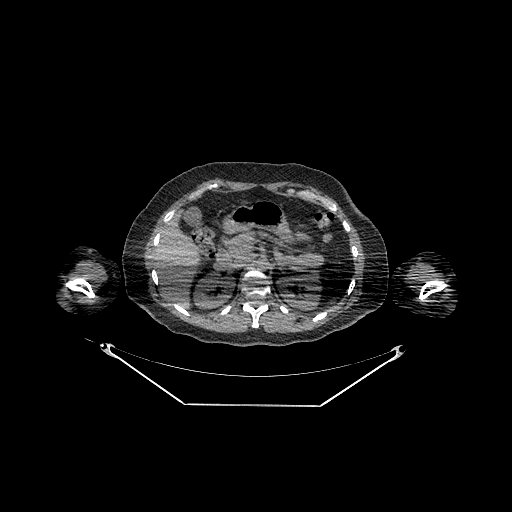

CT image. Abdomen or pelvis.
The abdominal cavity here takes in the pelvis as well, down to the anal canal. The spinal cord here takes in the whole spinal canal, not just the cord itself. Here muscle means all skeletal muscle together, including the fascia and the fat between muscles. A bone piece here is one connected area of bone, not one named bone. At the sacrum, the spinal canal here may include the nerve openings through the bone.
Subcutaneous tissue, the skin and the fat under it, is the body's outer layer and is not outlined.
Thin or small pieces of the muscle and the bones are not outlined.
The bones appear in 15 outlined pieces: piece 1: [[248,270],[259,270],[263,272],[267,275],[271,282],[271,291],[265,298],[265,301],[268,304],[268,308],[266,311],[260,314],[258,318],[259,326],[257,328],[253,328],[251,326],[251,314],[242,309],[242,304],[246,299],[241,291],[240,283],[241,278]] with a hole at [[253,295],[258,295],[259,296],[260,296],[263,298],[263,301],[262,302],[262,303],[259,306],[257,306],[256,307],[255,307],[253,305],[252,305],[252,304],[251,303],[250,303],[250,302],[247,299],[247,298],[248,298],[250,296],[252,296]]; piece 2: [[289,188],[293,188],[296,190],[309,190],[314,193],[319,194],[333,201],[336,204],[337,210],[335,213],[334,213],[322,205],[319,201],[316,201],[315,200],[309,199],[308,198],[298,197],[294,193],[290,194],[287,192],[287,189]]; piece 3: [[75,277],[84,277],[85,278],[85,279],[90,284],[90,285],[91,286],[93,291],[95,293],[96,296],[93,298],[89,298],[84,293],[83,293],[80,291],[72,291],[71,290],[70,290],[67,287],[66,287],[64,285],[64,283],[68,280],[70,280]]; piece 4: [[436,278],[437,279],[439,279],[440,280],[442,280],[444,281],[448,284],[448,286],[440,291],[431,293],[427,297],[427,298],[425,299],[419,299],[419,293],[420,292],[421,287],[426,282],[426,281],[428,280],[430,280],[431,279],[435,279]]; piece 5: [[213,183],[217,183],[218,184],[218,186],[217,187],[216,187],[215,188],[213,188],[210,190],[207,190],[205,192],[204,192],[199,197],[198,197],[193,200],[190,200],[188,198],[188,197],[192,192],[193,192],[194,191],[195,191],[208,184],[212,184]]; piece 6: [[177,302],[178,303],[179,303],[180,304],[181,304],[181,305],[182,306],[183,306],[189,312],[189,316],[186,316],[185,315],[184,315],[182,313],[181,313],[179,311],[178,311],[173,306],[172,306],[172,303],[176,303]]; piece 7: [[326,309],[328,309],[328,313],[326,315],[326,316],[325,317],[324,317],[322,319],[320,319],[319,320],[318,320],[316,322],[313,322],[312,321],[312,318],[317,313],[318,313],[319,312],[320,312],[321,311],[323,311],[324,310],[325,310]]; piece 8: [[171,210],[174,210],[175,211],[175,215],[174,215],[173,216],[173,217],[167,223],[165,223],[163,221],[163,218],[164,217],[164,216],[166,214],[166,213],[167,212],[168,212],[169,211],[170,211]]; piece 9: [[352,277],[354,277],[354,278],[355,279],[355,285],[354,286],[353,289],[351,291],[350,294],[349,294],[348,295],[347,294],[346,291],[347,290],[347,288],[349,285],[349,283],[350,282],[350,280]]; piece 10: [[351,245],[354,245],[357,248],[357,250],[358,251],[358,255],[357,256],[357,257],[356,258],[356,259],[355,260],[354,260],[353,259],[353,256],[352,255],[352,254],[351,253],[351,250],[350,249],[350,246]]; piece 11: [[154,268],[155,269],[155,270],[156,271],[156,272],[157,273],[157,279],[158,280],[158,284],[157,285],[156,284],[155,284],[154,283],[154,282],[153,281],[153,279],[152,278],[152,277],[151,276],[151,271],[152,270],[152,269],[153,269]]; piece 12: [[228,304],[230,304],[231,305],[231,308],[230,309],[230,310],[227,313],[226,313],[225,314],[223,314],[222,315],[221,315],[220,314],[220,312],[221,311],[221,310],[226,305],[227,305]]; piece 13: [[160,232],[160,237],[159,238],[159,242],[158,243],[158,244],[156,246],[154,246],[153,245],[153,240],[154,239],[154,237],[155,236],[155,235],[157,233],[159,233]]; piece 14: [[282,303],[283,303],[284,304],[285,304],[286,305],[286,306],[288,308],[288,310],[289,311],[288,312],[288,313],[284,313],[282,311],[281,311],[280,310],[280,309],[279,308],[279,305],[280,304],[281,304]]; piece 15: [[343,220],[345,220],[348,223],[348,224],[349,225],[349,226],[350,227],[350,230],[348,232],[347,232],[344,229],[344,228],[343,227],[343,226],[342,225],[342,221]]. The spinal cord is outlined by [[253,295],[258,295],[259,296],[260,296],[263,298],[263,301],[262,302],[262,303],[259,306],[257,306],[256,307],[255,307],[253,305],[252,305],[252,304],[251,303],[250,303],[250,302],[247,299],[247,298],[248,298],[250,296],[252,296]]. The torso is outlined by [[227,161],[295,162],[320,169],[338,179],[361,211],[373,222],[384,240],[389,280],[388,291],[382,304],[350,326],[314,341],[282,346],[236,346],[207,343],[174,333],[130,300],[125,289],[122,251],[128,230],[136,215],[166,181],[181,172],[208,162]]. The muscle appears in 3 outlined pieces: piece 1: [[214,178],[219,178],[220,179],[224,179],[230,181],[254,182],[255,183],[268,183],[269,182],[279,182],[280,181],[292,181],[293,182],[298,182],[302,184],[311,185],[313,187],[315,187],[334,199],[341,207],[345,214],[349,218],[350,221],[356,229],[360,238],[360,241],[363,248],[363,251],[365,254],[364,270],[363,271],[363,277],[361,282],[361,290],[362,292],[359,296],[359,299],[357,302],[343,313],[316,328],[310,330],[306,330],[305,331],[289,332],[288,333],[279,333],[278,332],[271,333],[270,332],[265,332],[261,329],[252,329],[245,332],[235,332],[234,333],[223,333],[222,332],[217,332],[216,331],[201,328],[198,326],[195,326],[189,324],[180,319],[178,319],[175,316],[170,314],[169,312],[162,306],[158,305],[153,300],[149,291],[149,284],[148,283],[147,270],[144,264],[144,259],[142,257],[142,255],[144,252],[144,247],[152,232],[152,230],[158,218],[161,214],[168,208],[168,207],[169,207],[176,200],[181,197],[185,193],[192,191],[196,186],[200,183],[209,179],[213,179]]; inner edge: [[213,183],[218,184],[213,190],[235,192],[261,187],[294,197],[297,196],[294,193],[287,192],[289,188],[309,190],[333,201],[337,207],[335,215],[350,227],[347,233],[349,245],[354,245],[358,251],[353,261],[355,285],[350,294],[345,292],[328,308],[325,317],[313,322],[316,312],[289,306],[288,313],[281,311],[279,305],[283,302],[272,289],[265,298],[268,308],[260,314],[257,328],[251,326],[251,314],[242,309],[246,299],[240,285],[229,302],[230,310],[225,314],[220,314],[222,307],[210,310],[186,307],[189,316],[178,311],[161,284],[155,284],[151,276],[156,266],[153,240],[166,226],[163,218],[167,212],[174,210],[177,214],[191,201],[188,197],[192,192]]; piece 2: [[417,262],[427,263],[434,266],[438,271],[442,272],[448,280],[446,282],[436,277],[426,280],[420,287],[418,299],[425,300],[431,294],[440,292],[449,286],[450,295],[443,303],[443,305],[423,305],[414,299],[412,289],[405,282],[404,276],[410,266]]; piece 3: [[82,260],[94,260],[101,264],[106,271],[107,277],[98,289],[98,302],[91,304],[75,303],[64,298],[62,295],[62,289],[64,286],[72,292],[80,292],[84,294],[89,299],[93,299],[97,296],[91,284],[84,276],[75,276],[66,281],[68,272]]. The abdominal cavity is outlined by [[258,187],[318,202],[341,222],[348,236],[353,274],[337,303],[318,312],[294,309],[271,289],[271,280],[259,269],[248,269],[242,275],[237,292],[223,307],[193,309],[173,302],[159,282],[154,261],[156,247],[166,225],[183,206],[207,191],[235,192]]. The left arm is outlined by [[428,250],[434,251],[445,257],[453,271],[457,274],[459,279],[459,283],[457,288],[458,289],[457,306],[452,313],[440,318],[424,317],[413,313],[405,308],[400,307],[393,301],[389,291],[390,275],[393,273],[395,268],[402,262],[409,259],[419,252]]. The right arm is outlined by [[83,244],[93,247],[101,254],[112,259],[117,264],[120,270],[120,276],[121,277],[119,291],[115,299],[106,307],[97,313],[91,315],[86,315],[81,313],[72,313],[60,308],[57,304],[56,299],[54,296],[55,274],[58,267],[72,250],[79,245]].